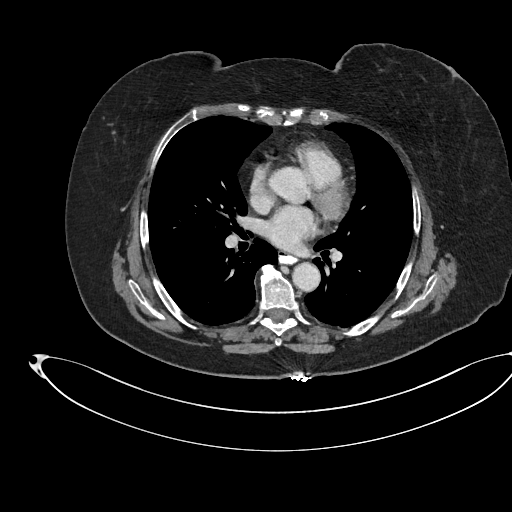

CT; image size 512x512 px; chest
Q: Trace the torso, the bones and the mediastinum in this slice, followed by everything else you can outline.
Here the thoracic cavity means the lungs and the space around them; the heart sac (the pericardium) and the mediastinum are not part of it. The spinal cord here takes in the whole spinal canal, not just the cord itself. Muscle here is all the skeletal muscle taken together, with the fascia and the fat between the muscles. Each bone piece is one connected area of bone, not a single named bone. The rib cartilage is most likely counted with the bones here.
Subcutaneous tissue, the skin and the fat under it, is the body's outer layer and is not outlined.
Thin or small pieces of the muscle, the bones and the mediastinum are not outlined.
A: torso: [[375,42],[416,49],[451,66],[496,120],[511,178],[511,277],[502,300],[476,322],[399,359],[314,377],[247,379],[191,371],[101,329],[78,293],[64,213],[75,148],[104,92],[132,68],[172,52],[203,50],[224,65],[289,57],[332,69],[351,46]]
bones 1: [[266,264],[273,265],[290,282],[303,314],[311,322],[309,325],[299,322],[287,329],[280,336],[281,344],[279,346],[275,344],[276,335],[269,328],[259,323],[248,324],[248,321],[257,311],[260,299],[260,290],[258,284],[255,283],[256,275],[260,267]]; inner edge: [[273,308],[282,308],[283,309],[285,309],[288,312],[288,316],[284,320],[283,320],[282,321],[280,321],[279,322],[275,322],[269,316],[269,311],[271,309],[272,309]]
bones 2: [[239,103],[248,104],[253,108],[266,105],[276,111],[281,108],[289,110],[296,107],[303,107],[308,111],[327,109],[332,113],[338,112],[345,117],[319,124],[303,120],[292,125],[269,125],[259,120],[251,120],[255,119],[251,112],[238,111],[236,106]]
bones 3: [[193,107],[218,107],[220,109],[215,113],[206,115],[197,120],[192,121],[182,127],[169,140],[163,149],[157,161],[153,174],[152,176],[151,176],[150,175],[150,166],[160,139],[168,128],[175,122],[176,120],[188,112],[190,109]]
bones 4: [[154,273],[155,274],[157,274],[157,276],[159,280],[165,288],[166,291],[174,302],[186,316],[185,317],[186,318],[190,318],[200,323],[198,329],[192,329],[186,326],[179,321],[167,309],[157,294],[153,285],[153,283],[152,282],[152,274]]
bones 5: [[385,308],[386,308],[386,309],[384,311],[383,314],[375,323],[375,324],[374,324],[368,330],[367,330],[362,334],[360,334],[359,335],[354,335],[353,336],[347,336],[341,333],[341,331],[339,327],[341,328],[349,328],[370,317],[378,311],[382,310]]
bones 6: [[433,273],[436,273],[437,274],[437,280],[432,290],[425,297],[425,298],[422,300],[418,301],[406,313],[397,317],[391,317],[391,314],[393,312],[399,309],[402,309],[406,307],[411,303],[411,302],[423,290],[424,286],[425,285],[425,283],[427,279]]
bones 7: [[412,181],[415,183],[417,187],[418,195],[419,196],[419,201],[420,202],[420,211],[421,212],[421,222],[420,223],[420,228],[419,229],[419,235],[417,237],[416,237],[414,235],[414,233],[413,232],[413,200],[412,199],[411,185],[410,184],[410,182]]
bones 8: [[129,279],[132,279],[137,283],[149,303],[156,310],[161,313],[165,317],[165,319],[163,320],[154,316],[142,304],[140,303],[140,302],[137,299],[137,298],[135,296],[129,286],[129,284],[128,283],[128,280]]
bones 9: [[408,258],[409,259],[411,258],[413,261],[409,277],[402,291],[400,293],[399,296],[397,298],[397,299],[393,302],[392,301],[392,292],[394,291],[396,283],[400,276],[400,274]]
bones 10: [[142,207],[145,207],[146,208],[146,211],[147,212],[147,228],[148,229],[148,236],[149,237],[149,242],[148,243],[149,249],[148,248],[146,251],[144,251],[142,248],[141,240],[140,239],[140,232],[139,231],[139,220],[140,219],[140,211]]
mediastinum 1: [[248,209],[249,217],[262,236],[278,248],[295,254],[301,252],[318,236],[333,230],[337,224],[334,231],[318,239],[313,246],[316,255],[312,261],[319,270],[320,281],[302,301],[298,300],[291,282],[275,266],[278,263],[277,250],[254,235],[249,226]]
mediastinum 2: [[300,122],[308,122],[313,125],[327,124],[324,127],[326,130],[332,131],[348,144],[352,156],[353,163],[352,159],[339,146],[331,140],[311,131],[291,131],[253,164],[245,179],[243,188],[245,198],[238,179],[238,171],[245,159],[270,135],[272,132],[271,126],[292,126]]
thoracic cavity 1: [[216,114],[249,119],[271,128],[269,135],[244,159],[237,179],[247,204],[248,226],[255,237],[276,250],[277,263],[261,265],[255,275],[259,290],[255,313],[231,323],[207,325],[188,317],[160,280],[149,246],[147,208],[156,166],[170,140],[188,124]]
thoracic cavity 2: [[332,122],[355,124],[383,138],[403,165],[412,200],[413,235],[393,291],[373,314],[349,327],[331,325],[310,315],[306,316],[300,303],[321,281],[320,270],[313,261],[317,255],[314,246],[318,240],[336,230],[355,193],[353,156],[349,144],[325,128]]
pericardium: [[291,132],[311,132],[331,141],[351,159],[355,175],[354,193],[344,216],[333,229],[326,233],[318,235],[310,241],[301,251],[297,253],[287,251],[278,247],[262,235],[260,229],[250,217],[246,193],[244,190],[246,179],[254,164],[269,149],[283,140]]
muscle 1: [[300,106],[328,108],[358,115],[389,132],[405,150],[419,177],[435,223],[437,243],[444,251],[450,251],[457,262],[456,284],[435,312],[328,353],[293,351],[280,346],[281,336],[299,323],[311,325],[307,316],[338,327],[347,337],[362,335],[375,325],[387,309],[375,312],[391,294],[395,302],[410,277],[414,261],[408,255],[413,236],[420,235],[421,202],[418,187],[410,181],[398,154],[378,133],[337,121],[346,117],[342,113],[338,111]] with a hole at [[433,273],[436,273],[437,274],[437,280],[432,290],[425,297],[425,298],[422,300],[418,301],[406,313],[397,317],[391,317],[391,314],[393,312],[399,309],[402,309],[406,307],[411,303],[411,302],[423,290],[424,286],[425,285],[425,283],[427,279]]
muscle 2: [[160,136],[149,166],[147,207],[141,207],[138,220],[141,248],[149,250],[156,272],[151,274],[156,294],[192,330],[254,314],[247,324],[269,329],[275,335],[273,349],[227,353],[217,346],[168,338],[137,321],[115,291],[112,254],[146,159]], around a hole outlined by [[129,279],[132,279],[137,283],[149,303],[156,310],[161,313],[165,317],[165,319],[163,320],[154,316],[142,304],[140,303],[140,302],[137,299],[137,298],[135,296],[129,286],[129,284],[128,283],[128,280]]
muscle 3: [[228,102],[238,102],[235,106],[236,110],[238,112],[242,113],[251,113],[254,116],[254,119],[251,118],[250,119],[246,117],[241,117],[237,115],[232,115],[231,114],[216,113],[221,109],[218,106],[194,106],[201,104],[219,104],[220,103],[227,103]]
spinal cord: [[273,308],[282,308],[283,309],[285,309],[288,312],[288,316],[284,320],[283,320],[282,321],[280,321],[279,322],[275,322],[269,316],[269,311],[271,309],[272,309]]